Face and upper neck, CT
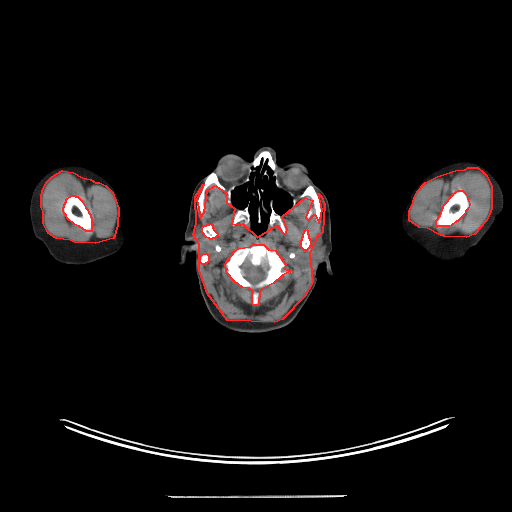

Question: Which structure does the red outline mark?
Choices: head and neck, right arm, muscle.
Answer: red: muscle.
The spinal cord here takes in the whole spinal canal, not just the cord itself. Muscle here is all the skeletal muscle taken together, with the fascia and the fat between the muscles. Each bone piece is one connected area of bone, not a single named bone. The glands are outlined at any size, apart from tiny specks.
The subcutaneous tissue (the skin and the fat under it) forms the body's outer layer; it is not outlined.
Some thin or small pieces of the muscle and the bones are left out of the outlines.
The muscle appears in 3 outlined pieces: piece 1: 203 184; 196 199; 200 217; 204 212; 207 190; 215 185; 225 192; 226 202; 234 208; 231 224; 242 223; 257 237; 276 225; 285 235; 287 229; 282 216; 305 197; 312 200; 305 217; 308 220; 314 214; 319 223; 322 209; 318 193; 321 196; 324 204; 322 232; 316 237; 309 253; 312 282; 304 296; 282 319; 274 322; 227 320; 207 293; 199 270; 199 244; 193 234; 196 223; 195 196 with holes at 253 244; 263 244; 268 249; 275 250; 285 264; 284 268; 290 271; 282 275; 273 283; 259 290; 258 305; 253 305; 252 303; 252 290; 249 288; 242 287; 234 281; 227 273; 225 266; 226 261; 235 250; 238 248; 250 246 and at 210 223; 211 224; 212 224; 212 227; 213 228; 213 229; 217 233; 217 236; 216 236; 214 238; 212 238; 211 239; 210 239; 209 238; 206 237; 202 232; 202 230; 201 229; 202 228; 202 227; 204 225; 206 225; 207 224; 209 224 and at 306 229; 307 230; 307 233; 308 234; 308 237; 310 240; 310 245; 309 246; 309 247; 306 250; 304 250; 301 247; 301 245; 300 244; 300 243; 301 242; 301 240; 302 239; 302 237; 303 236; 303 233; 304 232; 304 231 and at 203 253; 206 253; 208 255; 208 261; 206 263; 205 263; 204 264; 202 264; 200 262; 200 256; piece 2: 62 170; 73 172; 82 177; 90 179; 95 182; 99 182; 105 185; 112 192; 118 208; 117 225; 113 238; 95 243; 74 242; 70 240; 56 238; 48 233; 43 223; 43 211; 41 207; 41 195; 43 188; 47 181; 52 176 with a hole at 71 195; 74 195; 75 196; 77 196; 82 201; 85 207; 87 209; 88 212; 90 214; 90 216; 91 217; 91 231; 86 231; 79 226; 74 224; 67 218; 66 215; 64 213; 63 211; 63 207; 64 206; 64 204; 66 201; 66 199; piece 3: 468 167; 477 167; 482 171; 486 175; 491 186; 491 208; 489 214; 485 221; 474 234; 466 237; 444 236; 443 235; 440 235; 427 228; 419 227; 409 220; 409 210; 413 202; 414 197; 417 191; 425 182; 437 176; 455 170; 465 169; inner edge: 458 190; 462 190; 465 193; 467 197; 467 199; 469 203; 469 205; 467 209; 465 211; 463 215; 457 221; 456 221; 451 225; 449 226; 437 226; 436 227; 435 225; 436 224; 436 220; 440 215; 444 204; 453 194; 453 193. The right arm is outlined by 64 164; 74 164; 86 167; 101 175; 114 188; 120 200; 120 207; 123 212; 121 228; 124 235; 124 243; 122 247; 113 254; 85 264; 65 264; 55 260; 49 254; 42 242; 35 237; 32 231; 29 214; 32 191; 42 175; 48 170. The left arm is outlined by 464 159; 473 160; 482 164; 495 176; 499 182; 503 193; 504 199; 503 208; 495 218; 491 228; 478 244; 471 247; 463 257; 451 263; 442 264; 432 259; 415 241; 405 233; 401 223; 401 216; 413 189; 427 174; 446 164. The parotid glands are outlined by 321 233; 323 233; 323 235; 324 236; 324 241; 325 242; 325 248; 324 249; 324 251; 322 253; 318 261; 317 261; 313 266; 313 268; 309 265; 309 263; 310 262; 310 253; 315 246; 315 242; 316 241; 316 239; 317 237. The spinal cord is outlined by 245 260; 249 260; 250 261; 250 263; 255 267; 258 267; 260 266; 263 263; 263 262; 265 261; 266 265; 267 266; 267 269; 266 270; 266 275; 265 277; 263 279; 256 283; 252 283; 250 282; 243 275; 242 273; 242 264. The head and neck is outlined by 263 145; 275 149; 277 165; 294 160; 304 163; 325 194; 331 219; 332 274; 324 263; 318 266; 316 284; 289 324; 265 332; 241 332; 211 317; 200 292; 195 254; 189 253; 181 265; 180 247; 196 184; 222 155; 235 153; 250 163 with a hole at 254 173; 251 196; 259 204; 259 224; 261 210; 266 212; 267 207; 258 180; 265 176; 269 182; 273 177; 274 186; 291 197; 291 206; 282 215; 269 201; 267 227; 260 236; 252 233; 249 205; 238 208; 232 203; 233 190; 248 184. The bones appear in 8 outlined pieces: piece 1: 264 150; 275 159; 284 189; 296 196; 308 185; 314 187; 320 221; 314 213; 306 217; 313 205; 309 196; 299 199; 290 210; 290 194; 275 186; 273 176; 269 181; 264 175; 257 180; 264 189; 266 207; 266 211; 260 210; 259 223; 260 204; 252 196; 255 172; 248 183; 232 190; 232 205; 227 202; 226 192; 211 184; 200 216; 197 199; 205 178; 214 172; 225 187; 242 183; 254 157; piece 2: 253 244; 263 244; 268 249; 275 250; 285 264; 284 268; 290 271; 282 275; 273 283; 259 290; 258 305; 253 305; 252 303; 252 290; 249 288; 242 287; 234 281; 227 273; 225 266; 226 261; 235 250; 238 248; 250 246; inner edge: 245 260; 249 260; 250 261; 250 263; 255 267; 258 267; 260 266; 263 263; 263 262; 265 261; 266 265; 267 266; 267 269; 266 270; 266 275; 265 277; 263 279; 256 283; 252 283; 250 282; 243 275; 242 273; 242 264; piece 3: 458 190; 462 190; 465 193; 467 197; 467 199; 469 203; 469 205; 467 209; 465 211; 463 215; 457 221; 456 221; 451 225; 449 226; 437 226; 436 227; 435 225; 436 224; 436 220; 440 215; 444 204; 453 194; 453 193; piece 4: 71 195; 74 195; 75 196; 77 196; 82 201; 85 207; 87 209; 88 212; 90 214; 90 216; 91 217; 91 231; 86 231; 79 226; 74 224; 67 218; 66 215; 64 213; 63 211; 63 207; 64 206; 64 204; 66 201; 66 199; piece 5: 247 205; 248 205; 248 207; 249 208; 249 213; 250 214; 250 228; 249 227; 247 227; 242 222; 238 222; 236 224; 233 225; 232 224; 232 222; 233 221; 233 218; 234 217; 234 213; 235 212; 235 208; 237 208; 238 209; 243 209; piece 6: 271 200; 272 200; 272 206; 275 212; 281 215; 281 219; 283 221; 283 223; 286 229; 286 233; 285 234; 282 232; 281 229; 277 224; 276 224; 272 228; 267 229; 268 227; 268 223; 269 222; 269 214; 271 209; 270 207; 270 201; piece 7: 210 223; 211 224; 212 224; 212 227; 213 228; 213 229; 217 233; 217 236; 216 236; 214 238; 212 238; 211 239; 210 239; 209 238; 206 237; 202 232; 202 230; 201 229; 202 228; 202 227; 204 225; 206 225; 207 224; 209 224; piece 8: 306 229; 307 230; 307 233; 308 234; 308 237; 310 240; 310 245; 309 246; 309 247; 306 250; 304 250; 301 247; 301 245; 300 244; 300 243; 301 242; 301 240; 302 239; 302 237; 303 236; 303 233; 304 232; 304 231.